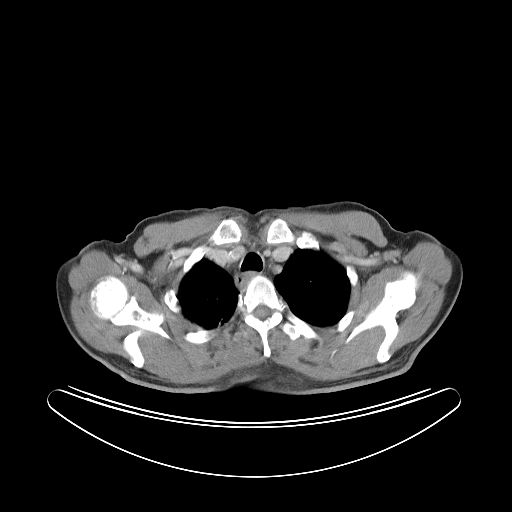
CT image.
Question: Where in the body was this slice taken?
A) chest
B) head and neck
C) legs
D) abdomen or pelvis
Answer: A) chest
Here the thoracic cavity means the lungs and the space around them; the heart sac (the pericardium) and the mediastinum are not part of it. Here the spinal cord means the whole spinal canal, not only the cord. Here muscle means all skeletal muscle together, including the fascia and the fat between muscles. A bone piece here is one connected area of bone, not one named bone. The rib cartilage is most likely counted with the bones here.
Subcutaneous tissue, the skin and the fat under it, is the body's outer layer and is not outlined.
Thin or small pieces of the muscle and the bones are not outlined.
{"torso":[[[340,200],[357,201],[376,210],[395,229],[427,232],[427,252],[436,277],[459,293],[442,325],[400,375],[304,395],[242,389],[172,393],[128,382],[88,355],[69,333],[102,325],[125,305],[129,275],[117,242],[148,216],[198,206],[233,205],[254,212]]],"left_arm":[[[428,232],[435,236],[440,241],[443,242],[452,248],[458,254],[461,260],[461,262],[462,263],[462,267],[463,268],[463,278],[462,279],[462,283],[461,284],[461,287],[459,292],[443,283],[437,277],[431,264],[431,261],[430,260],[430,257],[428,252]]],"bones":[[[106,275],[119,278],[128,292],[135,296],[142,309],[163,314],[160,326],[170,338],[148,330],[142,333],[138,338],[144,358],[141,368],[130,362],[130,356],[123,346],[124,338],[137,328],[116,325],[108,319],[99,318],[90,307],[90,290],[99,278]],{"outer":[[258,275],[265,276],[272,281],[277,293],[290,310],[310,325],[318,334],[319,339],[305,338],[301,335],[292,340],[277,325],[268,331],[267,341],[271,352],[269,357],[264,356],[259,333],[246,324],[237,314],[234,314],[239,291],[246,286],[252,277]],"hole":[[259,305],[265,305],[267,307],[268,307],[272,311],[272,312],[271,313],[271,314],[268,317],[267,317],[264,319],[260,319],[259,318],[258,318],[256,316],[255,316],[253,313],[253,311],[254,310],[254,309],[257,306],[258,306]]},[[405,270],[410,270],[418,274],[420,284],[413,304],[396,313],[395,318],[398,331],[389,347],[390,358],[383,363],[378,363],[376,353],[385,335],[384,329],[381,326],[366,329],[347,343],[345,340],[353,328],[381,300],[384,295],[386,282],[398,278]],[[275,218],[283,219],[296,235],[299,234],[303,230],[312,233],[318,241],[320,245],[320,249],[319,250],[315,250],[310,248],[299,248],[296,244],[288,242],[281,242],[276,244],[269,244],[267,243],[266,241],[266,232],[269,224]],[[226,218],[231,218],[233,219],[239,225],[242,232],[242,234],[239,241],[238,242],[224,243],[223,244],[220,244],[219,245],[215,245],[214,244],[212,244],[211,242],[208,241],[208,238],[211,235],[213,231],[218,226],[220,222],[223,219],[225,219]],[[202,327],[205,329],[210,329],[211,328],[215,328],[216,329],[214,336],[208,341],[207,341],[206,342],[204,342],[203,343],[192,343],[191,342],[189,342],[184,339],[184,335],[187,332],[189,332],[190,331],[195,331],[198,329],[201,329],[202,328]],[[202,244],[205,244],[207,245],[209,248],[203,255],[204,256],[200,260],[196,262],[192,266],[192,267],[183,276],[182,276],[181,275],[181,272],[183,268],[183,264],[184,263],[185,259],[189,256],[189,255],[193,251],[193,249],[199,245],[201,245]],[[167,289],[174,289],[175,290],[176,290],[176,296],[178,299],[178,303],[179,304],[179,305],[181,308],[181,311],[179,313],[176,313],[175,312],[172,311],[169,308],[169,307],[165,303],[165,302],[163,299],[163,295],[164,294],[165,291]],[[347,310],[354,310],[355,311],[355,313],[354,314],[354,315],[353,316],[353,317],[352,318],[352,319],[351,320],[350,323],[348,325],[348,326],[344,330],[344,331],[343,332],[339,332],[338,331],[337,331],[337,326],[335,324],[346,313]],[[348,264],[349,264],[354,267],[354,268],[356,271],[356,273],[357,274],[357,282],[356,283],[356,284],[354,286],[354,287],[351,289],[351,285],[350,284],[349,279],[347,276],[347,274],[346,273],[346,269],[345,268],[346,265],[347,265]]],"mediastinum":[[[249,242],[255,242],[266,245],[288,243],[296,245],[297,248],[289,256],[281,271],[275,275],[272,280],[262,274],[254,275],[247,281],[245,286],[239,290],[235,285],[232,276],[222,267],[204,257],[205,256],[204,255],[215,246],[224,246],[236,243]]],"muscle":[{"outer":[[226,210],[250,220],[279,210],[367,212],[389,243],[411,248],[426,240],[451,258],[443,304],[426,331],[394,362],[361,375],[321,381],[267,361],[207,383],[160,383],[142,368],[145,358],[139,338],[148,331],[169,340],[161,326],[164,314],[142,308],[119,277],[99,277],[88,293],[92,313],[116,326],[136,328],[122,340],[129,361],[102,352],[79,334],[71,319],[68,267],[92,249],[133,255],[135,241],[151,223]],"holes":[[[226,218],[239,225],[239,243],[266,245],[269,224],[283,219],[296,235],[312,233],[320,249],[344,268],[353,266],[357,282],[347,309],[355,313],[344,331],[337,331],[335,324],[312,325],[319,339],[301,335],[292,340],[277,325],[268,331],[271,352],[266,357],[259,333],[233,314],[208,341],[185,340],[187,332],[202,327],[181,311],[172,311],[163,295],[167,289],[178,291],[184,261],[193,249],[215,246],[208,238]],[[405,270],[410,270],[418,274],[420,284],[413,304],[396,313],[395,318],[398,331],[389,347],[390,358],[383,363],[378,363],[376,353],[385,335],[384,329],[381,326],[366,329],[347,343],[345,340],[353,328],[381,300],[384,295],[386,282],[398,278]]]}],"thoracic_cavity":[[[298,248],[299,249],[310,249],[315,251],[321,250],[333,258],[345,269],[345,273],[350,285],[349,300],[345,313],[334,324],[323,325],[322,326],[309,324],[296,315],[291,310],[287,302],[278,293],[275,287],[273,282],[275,276],[282,271],[290,256]],[[203,258],[205,258],[219,266],[229,274],[233,280],[234,285],[238,290],[237,300],[233,314],[227,322],[219,326],[211,327],[210,328],[205,328],[199,324],[190,321],[182,312],[182,308],[179,303],[179,299],[177,296],[177,292],[183,277],[196,263]]],"right_arm":[[[97,239],[112,240],[116,242],[121,251],[128,275],[128,282],[126,291],[126,302],[113,317],[108,321],[102,324],[94,326],[92,328],[68,332],[63,322],[58,307],[56,297],[56,288],[55,287],[56,273],[58,267],[65,259],[75,254],[87,243]]],"spinal_cord":[[[259,305],[265,305],[267,307],[268,307],[272,311],[272,312],[271,313],[271,314],[268,317],[267,317],[264,319],[260,319],[259,318],[258,318],[256,316],[255,316],[253,313],[253,311],[254,310],[254,309],[257,306],[258,306]]]}